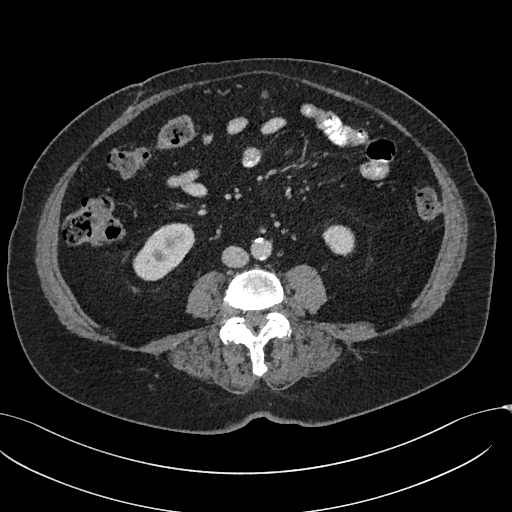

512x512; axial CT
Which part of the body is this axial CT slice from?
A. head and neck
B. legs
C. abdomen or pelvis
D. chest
C. abdomen or pelvis
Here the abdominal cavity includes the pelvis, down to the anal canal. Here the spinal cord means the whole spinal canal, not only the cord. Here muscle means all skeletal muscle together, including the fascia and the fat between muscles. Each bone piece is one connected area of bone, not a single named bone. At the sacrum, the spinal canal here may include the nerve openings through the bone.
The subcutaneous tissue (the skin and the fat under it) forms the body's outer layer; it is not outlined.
{"abdominal_cavity":[[[253,74],[361,106],[425,155],[444,227],[427,281],[406,315],[378,330],[367,320],[311,318],[328,295],[306,263],[286,270],[283,285],[253,267],[225,286],[212,269],[187,295],[184,311],[197,325],[142,345],[117,339],[60,271],[70,180],[150,106]]],"muscle":[{"outer":[[256,69],[257,70],[262,69],[263,70],[277,71],[292,76],[305,78],[308,80],[322,84],[327,87],[331,87],[366,101],[389,114],[394,119],[397,120],[439,160],[453,180],[463,202],[467,217],[468,222],[467,246],[465,257],[462,262],[461,268],[459,270],[458,275],[453,284],[449,289],[445,297],[445,300],[442,305],[429,318],[414,325],[404,327],[392,334],[379,336],[354,343],[352,345],[351,350],[344,352],[341,355],[340,360],[334,363],[325,372],[322,373],[318,377],[315,378],[305,378],[304,377],[288,388],[279,391],[275,391],[270,389],[261,380],[251,390],[245,394],[234,394],[217,385],[208,385],[202,383],[196,379],[193,379],[183,371],[174,368],[167,362],[164,361],[161,357],[158,358],[152,354],[139,351],[123,350],[111,344],[104,343],[100,341],[95,341],[85,337],[79,336],[68,330],[59,321],[56,313],[49,304],[42,291],[35,264],[35,246],[36,245],[37,228],[43,207],[59,178],[86,148],[130,105],[137,103],[153,94],[185,83],[211,79],[244,71],[251,71]],"hole":[[253,74],[331,94],[402,132],[437,180],[444,227],[409,311],[381,330],[367,320],[311,318],[328,300],[322,277],[306,263],[286,270],[285,298],[271,310],[284,314],[291,334],[264,345],[267,370],[261,376],[252,372],[244,344],[224,344],[219,336],[224,322],[240,314],[223,300],[226,278],[220,271],[200,275],[187,295],[184,311],[201,320],[197,325],[131,345],[80,307],[58,263],[62,201],[96,146],[169,96]]}],"torso":[[[249,57],[314,59],[371,74],[418,100],[457,136],[489,195],[497,232],[488,320],[474,357],[456,374],[417,394],[318,427],[258,417],[226,433],[186,433],[123,420],[67,398],[28,362],[7,293],[7,243],[30,169],[69,121],[109,93],[171,68]]],"bones":[{"outer":[[253,268],[272,272],[280,280],[285,298],[275,303],[271,310],[282,312],[291,328],[289,337],[273,337],[264,345],[267,370],[261,376],[252,372],[249,349],[244,344],[224,344],[219,336],[224,322],[240,314],[239,309],[223,300],[226,287],[235,274]],"hole":[[248,311],[261,311],[262,312],[263,312],[263,315],[264,316],[264,321],[263,322],[261,322],[257,326],[257,327],[248,327],[246,325],[246,324],[245,323],[245,317],[244,316],[244,315]]}],"spinal_cord":[[[248,311],[261,311],[262,312],[263,312],[263,315],[264,316],[264,321],[263,322],[261,322],[257,326],[257,327],[248,327],[246,325],[246,324],[245,323],[245,317],[244,316],[244,315]]]}